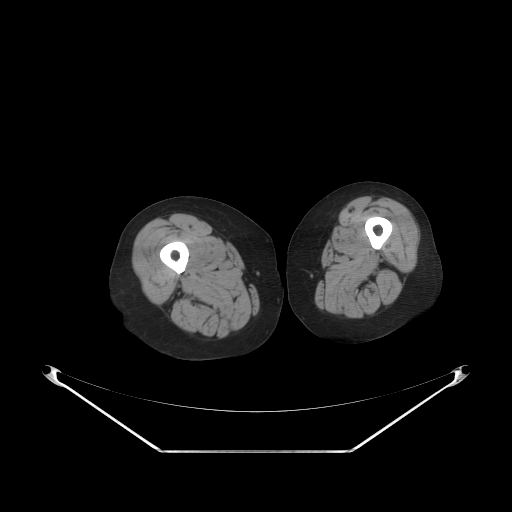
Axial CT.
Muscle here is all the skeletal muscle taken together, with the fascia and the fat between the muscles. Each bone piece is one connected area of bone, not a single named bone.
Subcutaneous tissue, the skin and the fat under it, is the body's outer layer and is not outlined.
{"bones":[[[174,240],[180,240],[184,242],[187,246],[188,250],[189,251],[189,256],[188,257],[188,261],[187,262],[186,267],[185,269],[181,273],[179,274],[176,273],[172,269],[165,265],[161,261],[159,257],[159,251],[160,249],[165,244],[171,241],[173,241]],[[375,215],[378,215],[379,216],[382,216],[383,217],[387,218],[392,224],[392,231],[389,237],[386,240],[386,241],[383,244],[380,249],[375,249],[371,246],[370,242],[369,241],[369,239],[364,229],[365,221],[367,219],[367,218],[370,216],[374,216]]],"muscle":[{"outer":[[175,212],[199,216],[210,224],[227,241],[231,242],[239,252],[255,284],[260,300],[260,308],[258,313],[241,330],[227,339],[216,342],[204,342],[188,337],[148,301],[141,290],[139,279],[133,271],[131,265],[131,252],[133,241],[139,230],[150,220]],"hole":[[174,240],[180,240],[184,242],[187,246],[188,250],[189,251],[189,256],[188,257],[188,261],[187,262],[186,267],[185,269],[181,273],[179,274],[176,273],[172,269],[165,265],[161,261],[159,257],[159,251],[160,249],[165,244],[171,241],[173,241]]},{"outer":[[364,195],[390,197],[409,209],[420,229],[420,241],[417,251],[418,259],[417,264],[413,271],[409,274],[399,297],[384,313],[365,321],[342,320],[332,315],[323,313],[316,307],[314,303],[316,273],[320,261],[321,237],[330,220],[338,210],[352,199]],"hole":[[375,215],[378,215],[379,216],[382,216],[383,217],[387,218],[392,224],[392,231],[389,237],[386,240],[386,241],[383,244],[380,249],[375,249],[371,246],[370,242],[369,241],[369,239],[364,229],[365,221],[367,219],[367,218],[370,216],[374,216]]}],"left_leg":[[[363,180],[380,181],[397,186],[409,193],[422,206],[430,221],[436,247],[440,256],[443,281],[435,305],[425,315],[386,336],[371,341],[355,344],[338,343],[318,337],[310,332],[292,311],[287,296],[287,247],[294,229],[305,213],[317,201],[343,185]]],"right_leg":[[[180,195],[202,196],[231,205],[259,224],[273,240],[283,287],[282,308],[277,325],[270,337],[261,346],[247,354],[204,361],[177,359],[164,355],[144,345],[128,333],[122,327],[120,317],[110,302],[109,269],[123,228],[136,213],[146,206],[165,198]]]}